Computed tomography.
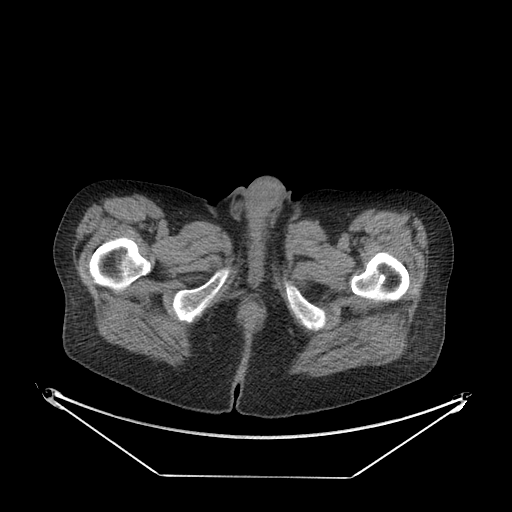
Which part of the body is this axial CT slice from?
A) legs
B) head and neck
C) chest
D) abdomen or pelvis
D) abdomen or pelvis
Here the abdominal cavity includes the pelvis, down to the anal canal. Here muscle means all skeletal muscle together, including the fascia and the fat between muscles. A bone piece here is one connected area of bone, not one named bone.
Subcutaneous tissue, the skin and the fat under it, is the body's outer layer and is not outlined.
Outlines:
muscle 1: (392, 207) (415, 213) (426, 232) (429, 251) (427, 277) (409, 332) (406, 353) (383, 365) (359, 366) (325, 376) (307, 378) (289, 374) (291, 362) (303, 349) (306, 337) (293, 321) (277, 285) (278, 268) (285, 261) (284, 241) (288, 226) (304, 219) (352, 220) (366, 209) with holes at (382, 251) (387, 252) (398, 259) (405, 266) (409, 275) (409, 286) (407, 290) (398, 300) (395, 301) (388, 302) (375, 301) (373, 299) (366, 298) (355, 294) (352, 291) (350, 286) (350, 280) (352, 276) (354, 274) (359, 274) (363, 272) (365, 270) (367, 262) (376, 253) and at (285, 281) (291, 282) (291, 283) (299, 290) (300, 293) (309, 302) (321, 308) (325, 312) (326, 321) (323, 327) (320, 328) (318, 330) (312, 330) (307, 328) (300, 323) (299, 320) (295, 316) (293, 311) (289, 306) (289, 302) (287, 299) (286, 290) (284, 285) (284, 282)
muscle 2: (135, 193) (151, 199) (176, 221) (185, 224) (196, 220) (203, 220) (217, 224) (227, 233) (232, 242) (232, 252) (235, 258) (233, 261) (235, 264) (235, 275) (230, 288) (221, 301) (210, 307) (190, 328) (189, 340) (193, 355) (177, 368) (165, 362) (156, 362) (147, 359) (143, 355) (113, 345) (97, 333) (95, 309) (92, 299) (89, 293) (83, 290) (84, 287) (77, 279) (78, 276) (73, 263) (72, 247) (76, 228) (87, 208) (106, 197) (125, 196), around holes outlined by (118, 237) (126, 237) (133, 240) (136, 243) (138, 247) (139, 253) (142, 256) (149, 260) (151, 269) (147, 274) (140, 276) (134, 280) (123, 290) (116, 292) (110, 288) (98, 285) (93, 282) (93, 280) (89, 273) (89, 261) (96, 248) (102, 243) (108, 240) (111, 240) and by (224, 267) (229, 268) (229, 274) (221, 287) (209, 302) (208, 305) (199, 315) (196, 315) (193, 318) (193, 320) (191, 322) (187, 322) (184, 320) (179, 320) (172, 307) (172, 301) (175, 293) (178, 290) (181, 289) (190, 289) (202, 285) (205, 283) (217, 270)
muscle 3: (248, 294) (251, 294) (252, 295) (253, 294) (257, 294) (259, 298) (263, 302) (267, 312) (267, 316) (264, 321) (264, 326) (259, 331) (253, 333) (251, 336) (243, 332) (242, 326) (238, 324) (235, 320) (236, 313) (237, 312) (237, 307) (242, 300) (242, 298) (245, 297); inner edge: (250, 299) (260, 302) (261, 304) (261, 307) (262, 308) (261, 317) (257, 325) (256, 325) (255, 327) (253, 328) (253, 329) (250, 329) (247, 326) (247, 325) (245, 324) (243, 321) (242, 321) (240, 317) (240, 309) (242, 307) (242, 305) (244, 302)
abdominal cavity: (250, 299) (260, 302) (261, 304) (261, 307) (262, 308) (261, 317) (257, 325) (256, 325) (255, 327) (253, 328) (253, 329) (250, 329) (247, 326) (247, 325) (245, 324) (243, 321) (242, 321) (240, 317) (240, 309) (242, 307) (242, 305) (244, 302)
torso: (262, 174) (277, 176) (293, 200) (318, 188) (399, 187) (439, 205) (451, 227) (454, 261) (445, 338) (428, 374) (343, 407) (269, 419) (234, 408) (209, 414) (160, 402) (65, 354) (64, 294) (52, 247) (65, 208) (82, 187) (106, 178) (136, 179) (181, 188) (213, 204)
bones 1: (118, 237) (126, 237) (133, 240) (136, 243) (138, 247) (139, 253) (142, 256) (149, 260) (151, 269) (147, 274) (140, 276) (134, 280) (123, 290) (116, 292) (110, 288) (98, 285) (93, 282) (93, 280) (89, 273) (89, 261) (96, 248) (102, 243) (108, 240) (111, 240)
bones 2: (382, 251) (387, 252) (398, 259) (405, 266) (409, 275) (409, 286) (407, 290) (398, 300) (395, 301) (388, 302) (375, 301) (373, 299) (366, 298) (355, 294) (352, 291) (350, 286) (350, 280) (352, 276) (354, 274) (359, 274) (363, 272) (365, 270) (367, 262) (376, 253)
bones 3: (224, 267) (229, 268) (229, 274) (221, 287) (209, 302) (208, 305) (199, 315) (196, 315) (193, 318) (193, 320) (191, 322) (187, 322) (184, 320) (179, 320) (172, 307) (172, 301) (175, 293) (178, 290) (181, 289) (190, 289) (202, 285) (205, 283) (217, 270)
bones 4: (285, 281) (291, 282) (291, 283) (299, 290) (300, 293) (309, 302) (321, 308) (325, 312) (326, 321) (323, 327) (320, 328) (318, 330) (312, 330) (307, 328) (300, 323) (299, 320) (295, 316) (293, 311) (289, 306) (289, 302) (287, 299) (286, 290) (284, 285) (284, 282)